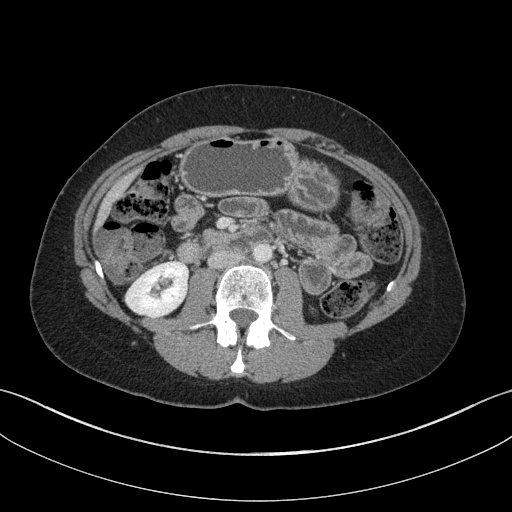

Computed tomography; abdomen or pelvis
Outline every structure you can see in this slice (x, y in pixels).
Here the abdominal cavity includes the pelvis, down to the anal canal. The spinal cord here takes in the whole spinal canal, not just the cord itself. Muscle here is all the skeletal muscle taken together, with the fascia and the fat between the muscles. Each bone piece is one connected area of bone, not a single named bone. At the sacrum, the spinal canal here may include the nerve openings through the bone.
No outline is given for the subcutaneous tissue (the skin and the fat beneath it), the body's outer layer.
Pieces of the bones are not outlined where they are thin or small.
The spinal cord is outlined by 242,329 244,329 245,328 246,328 248,326 248,325 257,317 257,314 253,311 251,311 250,310 247,310 246,309 235,309 234,310 232,310 230,312 230,316 231,317 231,318 237,324 237,325 240,328 241,328. The torso is outlined by 264,411 342,404 421,380 445,360 459,337 466,309 465,287 437,199 401,149 372,119 340,100 307,89 208,85 168,96 139,111 68,177 41,235 29,284 30,312 50,352 94,381 177,407 218,408 240,403. The abdominal cavity is outlined by 348,325 399,273 405,237 379,186 331,157 279,135 220,135 139,165 116,180 96,207 88,244 108,287 133,317 177,315 199,267 216,271 215,294 227,268 250,263 268,273 274,299 274,272 296,273 306,322. The bones are outlined by 239,375 244,369 244,345 268,346 268,333 273,328 288,339 295,339 272,321 269,278 261,268 250,264 236,265 223,273 215,295 216,311 207,321 189,327 195,329 212,324 219,344 235,345 236,358 230,368; inner edge: 242,329 244,329 245,328 246,328 248,326 248,325 257,317 257,314 253,311 251,311 250,310 247,310 246,309 235,309 234,310 232,310 230,312 230,316 231,317 231,318 237,324 237,325 240,328 241,328. The muscle is outlined by 259,384 272,383 273,382 288,383 292,381 303,379 316,373 328,362 333,355 335,349 339,346 343,340 359,331 361,331 368,327 370,327 374,324 376,324 399,309 405,303 408,296 411,293 413,282 417,277 419,272 420,261 421,260 421,226 418,222 417,216 407,197 397,183 392,178 371,162 362,157 349,153 341,144 335,140 325,136 323,134 320,134 306,129 289,128 288,127 272,127 271,128 260,129 252,127 241,127 235,125 222,125 220,124 219,125 198,126 190,128 178,132 166,138 152,148 142,149 123,157 105,169 89,187 83,196 76,210 73,222 73,258 76,265 77,279 79,287 84,292 84,294 88,300 95,307 103,313 110,317 117,319 127,326 137,337 138,340 144,341 151,345 156,350 159,355 167,363 175,369 195,378 204,377 210,380 219,380 220,379 225,379 229,377 233,377 236,379 245,377 249,380 with a hole at 239,375 244,345 268,346 273,328 295,339 271,319 277,269 298,276 306,322 352,325 405,255 377,184 279,135 157,156 106,190 88,230 97,274 136,318 177,315 194,270 215,270 216,311 189,328 214,325.